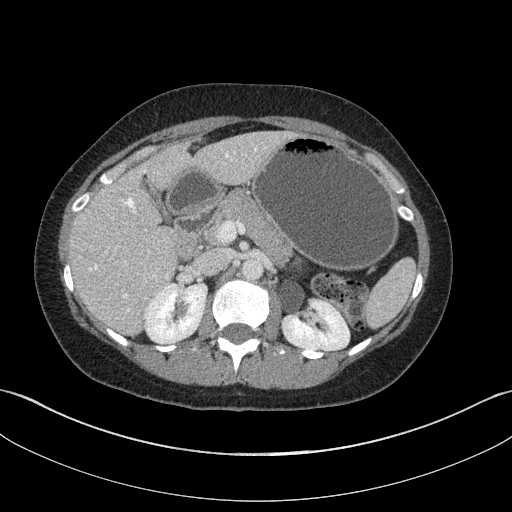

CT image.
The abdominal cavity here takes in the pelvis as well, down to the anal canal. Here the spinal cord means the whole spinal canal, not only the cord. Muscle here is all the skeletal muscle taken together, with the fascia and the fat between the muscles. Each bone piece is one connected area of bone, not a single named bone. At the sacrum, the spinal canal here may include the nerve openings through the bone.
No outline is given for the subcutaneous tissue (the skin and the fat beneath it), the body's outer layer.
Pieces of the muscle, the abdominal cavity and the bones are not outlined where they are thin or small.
Outlines (x, y in pixels):
torso: 198,411 298,411 362,400 396,381 423,351 441,321 453,273 451,235 442,206 387,127 342,96 283,83 206,82 164,91 138,104 104,131 65,171 44,206 34,247 34,284 43,315 66,356 84,374 107,387
spinal cord: 236,344 241,343 243,341 244,341 253,336 253,332 252,331 251,328 249,326 248,326 245,324 240,324 239,323 233,323 232,324 229,324 224,328 224,329 222,331 222,335 224,337 225,337 230,341 231,341
bones 1: 235,372 237,372 241,358 246,353 257,350 260,345 269,346 265,340 259,337 258,331 270,311 270,297 267,289 236,278 222,284 214,293 212,313 218,326 211,334 210,341 211,344 216,344 219,349 231,356; inner edge: 236,344 241,343 243,341 244,341 253,336 253,332 252,331 251,328 249,326 248,326 245,324 240,324 239,323 233,323 232,324 229,324 224,328 224,329 222,331 222,335 224,337 225,337 230,341 231,341
bones 2: 102,184 107,184 111,182 117,175 120,174 125,169 133,166 142,156 152,152 154,146 153,145 149,145 143,147 141,149 135,151 126,159 121,161 113,167 109,168 102,172 98,177 98,181
bones 3: 398,194 401,194 405,192 405,188 397,180 397,179 386,167 386,166 375,155 369,152 365,152 364,153 364,157 365,159 374,167 375,167 376,169 378,170 378,171 383,176 384,179 390,186 390,187 396,193
bones 4: 73,212 77,212 78,211 79,211 85,205 85,204 89,200 89,198 92,193 91,192 90,192 89,191 88,191 87,192 85,192 83,194 82,194 80,196 79,196 74,201 74,202 71,206 71,210
bones 5: 348,355 353,355 359,352 361,350 364,349 369,344 369,343 371,341 372,339 372,336 369,336 367,337 365,339 360,341 358,343 357,343 355,345 351,347 347,351 347,354
bones 6: 71,292 74,292 74,288 73,287 73,281 72,280 72,278 71,277 71,273 70,272 70,267 69,266 69,263 66,263 65,264 65,265 63,268 63,277 64,278 64,282 65,283 65,285 66,286 66,287
bones 7: 410,222 412,222 414,219 414,215 413,214 413,213 412,212 412,211 408,207 407,207 406,206 405,206 403,204 400,204 399,205 397,205 396,206 396,210 398,212 398,213 404,219 405,219 406,220 407,220
bones 8: 124,346 127,346 128,345 129,345 129,344 130,343 129,342 129,341 128,340 127,340 123,336 120,335 118,333 115,332 110,328 107,327 105,329 105,331 107,333 107,334 112,339 113,339 118,343 119,343
bones 9: 410,299 413,299 415,298 417,296 417,295 419,293 421,289 421,287 423,283 423,280 422,279 422,275 420,272 418,272 416,275 416,279 414,283 414,286 412,290 412,293 410,296
muscle: 260,389 270,389 271,388 276,388 277,389 300,389 301,388 308,388 319,385 334,378 348,365 359,359 370,351 386,344 399,335 407,327 411,321 416,308 425,291 425,283 428,276 428,270 430,262 430,246 428,241 429,237 426,231 426,226 424,219 411,198 410,190 407,182 398,170 381,153 374,148 359,141 357,141 340,130 316,120 312,120 301,117 295,117 294,116 284,116 283,115 267,115 258,117 241,117 236,115 220,115 219,116 203,117 198,119 194,119 178,123 163,128 158,131 150,133 134,141 116,153 103,160 91,171 80,186 77,188 67,202 63,210 61,224 58,234 58,240 57,241 57,253 58,254 58,260 60,263 60,266 58,269 58,273 59,274 59,279 63,287 63,291 71,315 81,327 94,335 101,341 116,349 130,361 133,362 142,369 160,378 176,383 186,384 187,385 225,386 231,384 241,384; inner edges: 235,372 246,353 269,346 258,331 270,311 270,291 281,302 278,340 306,358 359,352 419,293 414,215 393,205 377,173 396,193 405,188 372,153 364,153 368,166 324,136 240,122 155,152 153,145 143,147 102,172 98,181 104,185 72,204 78,213 70,226 64,282 107,334 124,346 135,341 170,352 197,336 210,307 218,326 210,342 231,356, then 273,355 276,355 278,353 279,353 280,354 283,354 285,352 285,351 284,350 284,349 283,349 282,348 278,348 277,347 275,347 274,348 274,350 272,352 272,354
abdominal cavity: 325,353 348,349 394,321 417,272 415,232 395,210 377,172 328,138 261,122 227,125 145,157 92,194 74,217 68,255 75,291 101,322 130,341 176,344 194,338 211,309 214,291 236,277 278,294 278,340